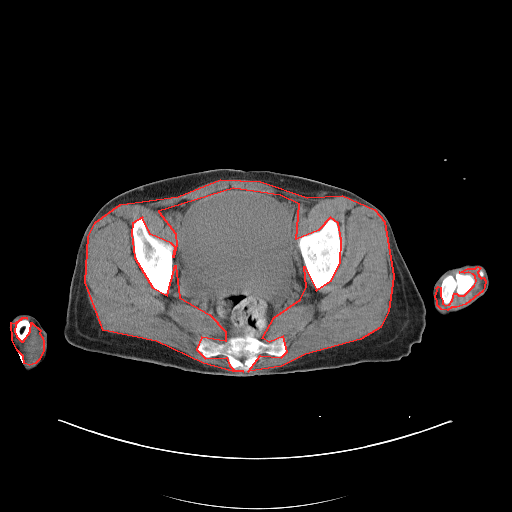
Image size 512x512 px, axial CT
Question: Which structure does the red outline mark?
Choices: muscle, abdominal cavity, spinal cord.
Answer: red: muscle.
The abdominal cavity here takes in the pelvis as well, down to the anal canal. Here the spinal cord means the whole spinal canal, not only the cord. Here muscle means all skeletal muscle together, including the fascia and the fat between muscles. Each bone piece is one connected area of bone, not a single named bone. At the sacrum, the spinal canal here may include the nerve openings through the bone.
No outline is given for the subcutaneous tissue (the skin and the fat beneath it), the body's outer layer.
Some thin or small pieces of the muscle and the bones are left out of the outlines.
{"muscle":[[[220,179],[260,181],[307,197],[342,195],[374,209],[384,221],[393,276],[388,311],[380,327],[360,339],[305,354],[281,366],[248,371],[260,355],[281,357],[287,351],[283,336],[269,342],[262,338],[274,317],[300,299],[306,287],[304,266],[316,290],[331,280],[340,263],[341,239],[338,223],[330,217],[318,230],[296,239],[299,204],[280,195],[233,188],[158,211],[175,233],[176,245],[173,257],[175,247],[171,243],[150,234],[142,217],[132,223],[131,233],[134,257],[152,287],[167,295],[175,265],[179,297],[209,314],[225,331],[225,341],[201,337],[196,349],[205,358],[226,357],[229,365],[234,370],[243,371],[232,371],[203,363],[156,341],[103,330],[85,282],[88,236],[95,222],[120,204],[178,196]],[[22,317],[27,318],[22,318],[15,324],[14,331],[16,336],[21,341],[23,341],[30,331],[31,322],[40,330],[39,333],[42,337],[43,342],[43,350],[39,359],[35,363],[29,365],[24,363],[23,356],[17,350],[12,340],[11,322],[15,323]],[[477,266],[480,268],[477,272],[478,275],[481,278],[483,277],[485,280],[484,287],[482,291],[465,304],[456,307],[451,307],[447,310],[441,309],[437,305],[437,301],[435,296],[437,290],[436,288],[438,286],[440,287],[440,296],[442,300],[442,303],[445,305],[449,304],[452,300],[454,293],[456,293],[458,295],[464,295],[474,285],[476,281],[475,276],[473,274],[468,272],[464,273],[459,272],[467,268],[475,268]]],"torso":[[[216,168],[269,170],[301,176],[351,191],[379,208],[391,225],[425,305],[426,324],[421,341],[411,346],[407,356],[395,361],[362,362],[337,368],[253,376],[186,371],[87,351],[70,344],[63,332],[70,282],[80,240],[97,211],[116,195],[137,186]]],"right_arm":[[[21,313],[26,313],[35,317],[38,320],[47,334],[47,349],[46,350],[46,356],[44,360],[41,363],[31,370],[27,370],[25,368],[24,364],[20,360],[20,358],[18,355],[18,353],[19,352],[17,350],[12,340],[12,326],[10,322],[16,315]]],"spinal_cord":[[[244,356],[245,357],[246,357],[246,358],[245,359],[244,360],[243,360],[242,361],[241,360],[240,360],[239,359],[238,359],[237,358],[238,357],[239,357],[240,357],[241,357],[242,357],[243,357]]],"left_arm":[[[465,264],[479,264],[482,265],[484,267],[488,276],[488,287],[487,290],[483,295],[468,307],[464,308],[459,311],[453,312],[447,316],[443,316],[435,309],[433,304],[433,287],[434,284],[438,278],[446,270],[450,268],[459,267]]],"bones":[[[330,218],[333,219],[337,223],[338,226],[338,232],[340,239],[340,258],[338,266],[330,280],[322,288],[316,289],[313,286],[310,280],[307,269],[304,265],[303,258],[298,247],[298,239],[303,235],[309,234],[314,231],[318,231],[325,224],[327,220]],[[140,217],[143,219],[146,229],[150,235],[155,238],[162,240],[166,243],[169,243],[174,247],[174,250],[172,253],[173,263],[171,268],[172,281],[170,285],[169,291],[167,294],[163,294],[153,287],[144,276],[135,257],[133,234],[132,233],[132,225]],[[251,333],[266,343],[283,337],[287,348],[281,356],[265,353],[260,354],[255,364],[247,371],[238,368],[234,369],[230,365],[226,356],[216,355],[205,357],[197,349],[197,343],[201,338],[206,338],[217,343],[223,343],[230,337],[243,336],[245,334]],[[457,272],[463,274],[465,273],[471,274],[474,276],[475,281],[473,285],[464,294],[458,294],[456,292],[454,292],[452,295],[450,302],[445,304],[443,303],[443,300],[441,296],[441,287],[440,286],[441,283],[443,279],[447,275],[450,274],[453,275]],[[22,319],[27,319],[29,321],[29,322],[30,323],[30,328],[29,329],[29,331],[28,332],[28,333],[27,334],[26,337],[23,340],[21,340],[17,336],[17,335],[16,334],[16,332],[15,331],[16,330],[16,324],[18,322],[18,321],[19,321]]],"abdominal_cavity":[[[233,189],[280,196],[300,207],[300,216],[295,224],[295,239],[303,262],[305,287],[295,303],[286,305],[273,317],[261,339],[251,332],[228,337],[215,318],[180,297],[175,283],[178,268],[173,258],[177,245],[176,233],[164,222],[159,212],[176,203]]]}